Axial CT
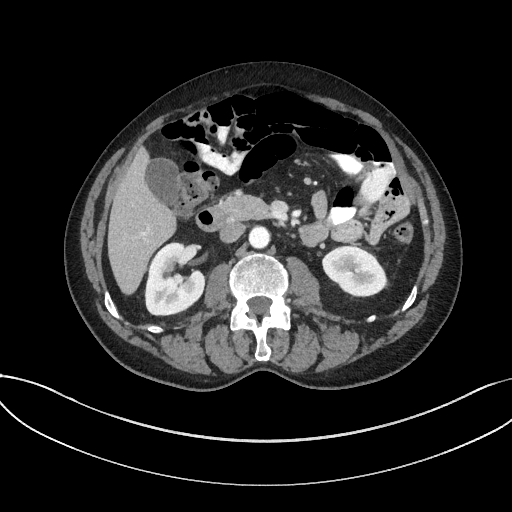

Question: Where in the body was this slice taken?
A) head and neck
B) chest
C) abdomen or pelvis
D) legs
Answer: C) abdomen or pelvis
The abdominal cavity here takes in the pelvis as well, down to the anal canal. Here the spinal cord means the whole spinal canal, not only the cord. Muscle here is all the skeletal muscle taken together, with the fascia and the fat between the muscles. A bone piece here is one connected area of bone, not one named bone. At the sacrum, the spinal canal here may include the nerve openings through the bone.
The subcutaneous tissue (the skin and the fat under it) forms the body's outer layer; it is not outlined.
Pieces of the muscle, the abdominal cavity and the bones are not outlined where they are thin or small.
Outlines:
abdominal cavity: (158, 325) (205, 309) (211, 268) (223, 261) (232, 266) (254, 251) (284, 265) (287, 256) (299, 257) (318, 279) (328, 311) (365, 319) (399, 309) (421, 264) (421, 223) (377, 128) (297, 92) (262, 86) (199, 106) (152, 133) (110, 203) (102, 267) (120, 313) (135, 324)
muscle: (205, 375) (236, 373) (256, 362) (271, 362) (294, 373) (329, 371) (353, 362) (395, 341) (423, 316) (429, 297) (427, 290) (435, 281) (444, 254) (445, 226) (439, 200) (422, 162) (405, 143) (371, 114) (336, 99) (304, 92) (285, 85) (264, 82) (252, 84) (231, 91) (225, 91) (160, 115) (141, 128) (124, 146) (108, 159) (100, 170) (89, 191) (80, 224) (81, 253) (85, 271) (96, 298) (95, 304) (100, 317) (124, 341) (149, 352) (178, 370); inner edge: (259, 361) (271, 353) (267, 330) (290, 328) (287, 256) (318, 279) (324, 309) (370, 322) (415, 300) (421, 225) (429, 223) (377, 128) (279, 86) (223, 96) (152, 133) (122, 174) (102, 252) (107, 310) (154, 333) (205, 309) (209, 271) (230, 263) (230, 328) (253, 332)
bones 1: (259, 361) (268, 360) (271, 353) (266, 343) (267, 330) (270, 327) (286, 330) (290, 328) (291, 308) (284, 297) (288, 287) (287, 270) (273, 256) (254, 252) (241, 258) (229, 273) (230, 290) (236, 300) (230, 312) (230, 328) (249, 329) (253, 332) (256, 339) (254, 355), around a hole outlined by (256, 314) (263, 314) (264, 313) (267, 313) (267, 312) (268, 311) (268, 308) (271, 303) (271, 300) (269, 298) (268, 298) (267, 297) (265, 297) (264, 296) (256, 296) (255, 297) (253, 297) (248, 300) (247, 303) (250, 308) (250, 312) (251, 313) (255, 313)
bones 2: (118, 319) (119, 319) (120, 318) (120, 315) (118, 313) (118, 312) (117, 311) (117, 309) (116, 308) (116, 307) (111, 298) (111, 296) (109, 293) (109, 291) (107, 289) (107, 288) (105, 288) (105, 290) (104, 291) (104, 304) (105, 305) (107, 310) (114, 317) (115, 317)
bones 3: (401, 311) (404, 311) (406, 309) (407, 309) (413, 303) (413, 302) (415, 300) (415, 298) (416, 297) (416, 293) (417, 292) (417, 285) (416, 284) (416, 283) (414, 283) (414, 284) (412, 286) (412, 288) (411, 289) (408, 296) (406, 298) (403, 305) (400, 309) (401, 310)
torso: (192, 391) (217, 390) (262, 370) (312, 389) (375, 382) (415, 360) (453, 308) (463, 251) (445, 182) (418, 140) (387, 107) (335, 74) (278, 60) (240, 62) (199, 74) (158, 97) (126, 124) (99, 155) (75, 196) (64, 231) (63, 263) (78, 313) (104, 350) (126, 369)
spinal cord: (256, 314) (263, 314) (264, 313) (267, 313) (267, 312) (268, 311) (268, 308) (271, 303) (271, 300) (269, 298) (268, 298) (267, 297) (265, 297) (264, 296) (256, 296) (255, 297) (253, 297) (248, 300) (247, 303) (250, 308) (250, 312) (251, 313) (255, 313)